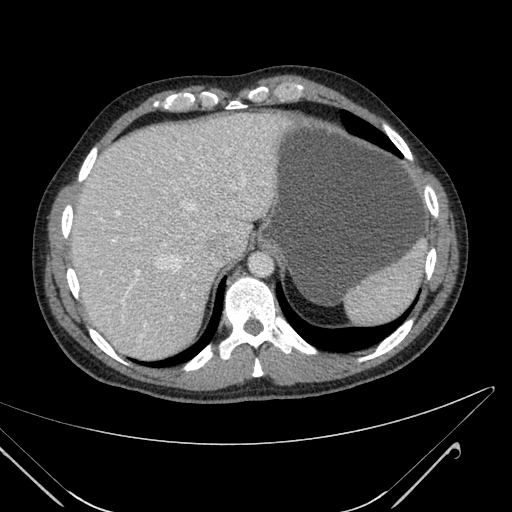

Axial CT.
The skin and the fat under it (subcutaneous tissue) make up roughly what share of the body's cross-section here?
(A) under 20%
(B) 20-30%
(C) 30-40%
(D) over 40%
Answer: (A) under 20%
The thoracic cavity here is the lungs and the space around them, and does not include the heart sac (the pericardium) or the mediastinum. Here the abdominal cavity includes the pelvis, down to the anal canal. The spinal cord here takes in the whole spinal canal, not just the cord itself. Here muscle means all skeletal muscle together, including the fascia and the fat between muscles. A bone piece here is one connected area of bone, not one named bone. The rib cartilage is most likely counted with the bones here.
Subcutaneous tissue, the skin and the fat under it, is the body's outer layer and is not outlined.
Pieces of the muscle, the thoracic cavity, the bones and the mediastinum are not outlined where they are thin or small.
The abdominal cavity is outlined by (142, 361) (172, 357) (195, 343) (211, 316) (219, 281) (253, 250) (272, 258) (286, 300) (313, 325) (371, 327) (401, 315) (419, 292) (429, 248) (429, 213) (405, 159) (309, 114) (274, 108) (148, 125) (111, 142) (99, 154) (72, 206) (70, 257) (93, 327) (120, 355). The mediastinum appears in 3 outlined pieces: piece 1: (275, 294) (275, 285) (278, 281) (280, 282) (280, 276) (276, 270) (276, 266) (274, 262) (269, 256) (262, 252) (259, 251) (253, 251) (247, 254) (240, 259) (224, 276) (227, 277) (227, 280) (226, 281) (226, 288) (237, 277) (243, 275) (251, 275) (263, 280) (270, 287); piece 2: (344, 129) (345, 128) (343, 127) (339, 116) (339, 111) (341, 109) (318, 102) (304, 101) (303, 102) (294, 102) (293, 103) (274, 104) (273, 105) (251, 105) (248, 106) (248, 107) (247, 108) (245, 108) (264, 108) (274, 107) (282, 109) (292, 109) (305, 113) (309, 113) (313, 117) (330, 122); piece 3: (112, 141) (131, 131) (133, 131) (148, 124) (164, 122) (165, 121) (174, 121) (175, 120) (190, 120) (222, 111) (233, 110) (221, 109) (214, 111) (192, 112) (191, 113) (166, 113) (165, 112) (158, 112) (157, 111) (156, 112) (152, 112) (143, 116) (130, 124) (118, 134). The bones appear in 12 outlined pieces: piece 1: (222, 359) (228, 359) (232, 350) (244, 342) (257, 349) (264, 341) (270, 341) (285, 353) (289, 353) (293, 347) (306, 354) (316, 354) (318, 350) (304, 340) (278, 313) (274, 294) (263, 281) (251, 276) (243, 276) (237, 278) (225, 290) (223, 310) (228, 333) (216, 345); inner edge: (254, 335) (255, 335) (256, 334) (257, 334) (261, 330) (262, 330) (262, 325) (261, 324) (261, 323) (258, 320) (257, 320) (256, 319) (254, 319) (253, 318) (250, 318) (245, 323) (245, 324) (244, 325) (244, 329) (247, 332) (248, 332) (251, 334) (253, 334); piece 2: (177, 112) (178, 111) (186, 111) (199, 105) (204, 109) (205, 108) (210, 109) (217, 105) (219, 102) (219, 98) (215, 93) (206, 90) (201, 91) (196, 95) (191, 92) (173, 93) (162, 99) (155, 100) (152, 103) (152, 106) (156, 108) (161, 107) (167, 111) (176, 111); piece 3: (257, 103) (263, 101) (267, 101) (269, 99) (273, 99) (277, 102) (296, 101) (299, 100) (304, 95) (304, 89) (305, 88) (302, 84) (295, 82) (281, 82) (273, 89) (270, 89) (267, 86) (263, 85) (258, 86) (253, 89) (251, 89) (246, 95) (246, 98) (249, 101); piece 4: (358, 362) (362, 362) (363, 361) (374, 358) (381, 354) (383, 354) (398, 344) (410, 330) (415, 318) (414, 317) (410, 317) (409, 318) (407, 318) (403, 322) (403, 323) (391, 334) (382, 340) (370, 353) (366, 355) (358, 357) (356, 359); piece 5: (125, 365) (129, 365) (129, 363) (127, 361) (123, 359) (113, 349) (113, 348) (95, 329) (94, 329) (92, 327) (90, 327) (88, 326) (87, 327) (87, 330) (92, 340) (104, 352) (105, 352) (108, 355) (109, 355) (114, 359) (117, 360) (119, 362); piece 6: (185, 371) (194, 370) (195, 369) (197, 369) (198, 368) (199, 368) (213, 356) (213, 354) (214, 353) (213, 352) (213, 349) (214, 348) (214, 346) (211, 342) (210, 342) (195, 356) (194, 356) (191, 359) (190, 359) (188, 361) (187, 361) (182, 366) (182, 367) (181, 368); piece 7: (410, 161) (412, 161) (413, 160) (413, 157) (412, 156) (412, 154) (407, 144) (405, 142) (403, 138) (386, 122) (383, 122) (382, 123) (382, 128) (383, 129) (383, 131) (392, 141) (392, 142) (398, 148) (398, 149) (402, 153) (404, 157) (406, 159); piece 8: (79, 182) (81, 182) (86, 177) (87, 174) (89, 172) (89, 171) (90, 170) (93, 163) (95, 161) (95, 160) (98, 155) (98, 147) (96, 145) (94, 145) (91, 148) (91, 149) (88, 152) (87, 155) (85, 157) (85, 158) (81, 165) (80, 170) (78, 173) (78, 181); piece 9: (435, 218) (436, 218) (438, 216) (438, 203) (437, 202) (437, 197) (436, 196) (436, 194) (433, 188) (429, 184) (426, 184) (424, 186) (424, 190) (423, 191) (423, 193) (424, 194) (424, 200) (425, 201) (425, 203) (428, 208) (428, 210) (430, 214) (433, 217); piece 10: (65, 238) (67, 238) (68, 237) (68, 235) (69, 234) (69, 230) (71, 227) (72, 217) (73, 216) (73, 213) (72, 212) (72, 207) (70, 204) (67, 204) (64, 207) (64, 209) (62, 212) (62, 216) (61, 217) (61, 228) (62, 229) (62, 233) (63, 234) (63, 236); piece 11: (77, 300) (79, 300) (79, 286) (78, 285) (78, 282) (77, 281) (77, 278) (75, 275) (75, 272) (74, 271) (73, 268) (72, 267) (69, 266) (67, 268) (67, 270) (66, 271) (66, 277) (67, 278) (67, 281) (68, 282) (68, 285) (72, 292) (72, 294); piece 12: (427, 280) (430, 279) (430, 277) (432, 274) (432, 272) (433, 271) (433, 268) (435, 264) (435, 260) (436, 259) (436, 250) (434, 247) (431, 247) (429, 249) (428, 251) (428, 253) (427, 254) (427, 256) (426, 257) (426, 262) (425, 263) (425, 276). The spinal cord is outlined by (254, 335) (255, 335) (256, 334) (257, 334) (261, 330) (262, 330) (262, 325) (261, 324) (261, 323) (258, 320) (257, 320) (256, 319) (254, 319) (253, 318) (250, 318) (245, 323) (245, 324) (244, 325) (244, 329) (247, 332) (248, 332) (251, 334) (253, 334). The thoracic cavity appears in 3 outlined pieces: piece 1: (336, 352) (355, 351) (376, 345) (401, 324) (408, 316) (418, 298) (418, 294) (411, 305) (401, 316) (387, 324) (371, 328) (326, 329) (313, 326) (300, 318) (291, 309) (285, 300) (280, 283) (278, 282) (276, 285) (276, 297) (278, 304) (288, 322) (304, 339) (317, 348); piece 2: (151, 367) (165, 367) (185, 362) (195, 355) (211, 341) (215, 334) (221, 316) (226, 277) (223, 277) (218, 285) (216, 292) (216, 298) (214, 302) (214, 309) (208, 326) (203, 335) (195, 344) (172, 358) (168, 358) (162, 361) (142, 362) (135, 359) (128, 359) (135, 363); piece 3: (400, 158) (402, 158) (403, 156) (383, 132) (380, 131) (368, 122) (346, 110) (342, 109) (340, 111) (340, 116) (341, 117) (342, 123) (344, 125) (344, 127) (346, 128) (347, 131) (350, 133) (362, 137) (372, 143) (375, 143) (380, 147) (382, 147) (384, 149) (390, 151). The muscle appears in 2 outlined pieces: piece 1: (197, 391) (224, 388) (252, 378) (255, 356) (260, 359) (264, 371) (261, 377) (277, 385) (349, 376) (376, 366) (396, 354) (422, 331) (444, 305) (455, 283) (459, 262) (454, 217) (448, 195) (439, 180) (420, 163) (406, 141) (414, 157) (412, 162) (406, 161) (420, 187) (423, 190) (423, 186) (429, 183) (438, 197) (439, 216) (435, 219) (430, 215) (429, 231) (430, 247) (436, 248) (437, 259) (431, 279) (427, 281) (424, 276) (419, 298) (408, 317) (416, 318) (411, 330) (390, 351) (362, 363) (355, 359) (375, 346) (349, 353) (319, 350) (316, 355) (306, 355) (294, 348) (285, 354) (266, 341) (257, 350) (248, 344) (241, 344) (233, 350) (228, 360) (222, 360) (215, 345) (227, 333) (223, 311) (212, 340) (214, 356) (199, 369) (185, 372) (180, 368) (184, 363) (151, 368) (125, 358) (129, 366) (119, 363) (89, 337) (86, 327) (92, 326) (81, 302) (71, 294) (65, 277) (66, 268) (71, 266) (71, 262) (67, 239) (61, 233) (60, 217) (67, 203) (73, 205) (81, 184) (77, 181) (79, 169) (58, 192) (48, 215) (44, 274) (45, 293) (58, 323) (90, 353) (127, 376); piece 2: (99, 153) (126, 126) (143, 115) (157, 110) (166, 112) (176, 112) (167, 112) (164, 111) (161, 108) (156, 109) (151, 106) (155, 99) (162, 98) (170, 93) (191, 91) (196, 94) (206, 89) (215, 92) (220, 98) (218, 105) (214, 107) (210, 110) (204, 110) (200, 106) (199, 106) (193, 108) (191, 110) (186, 112) (178, 112) (191, 112) (204, 111) (224, 108) (224, 105) (233, 98) (247, 102) (249, 105) (285, 103) (269, 100) (257, 104) (249, 102) (245, 98) (246, 93) (251, 88) (262, 84) (273, 88) (281, 81) (295, 81) (305, 86) (305, 95) (297, 101) (318, 101) (346, 109) (382, 131) (381, 123) (383, 121) (393, 127) (380, 116) (332, 88) (298, 75) (283, 74) (262, 78) (253, 85) (235, 93) (205, 85) (190, 85) (180, 89) (156, 93) (138, 106) (125, 112) (113, 122) (95, 143) (99, 147). The torso is outlined by (191, 404) (316, 397) (385, 377) (434, 341) (457, 303) (469, 250) (467, 222) (457, 190) (445, 168) (405, 123) (374, 92) (345, 74) (311, 65) (279, 64) (238, 74) (172, 76) (133, 87) (96, 115) (41, 196) (32, 234) (32, 279) (43, 319) (61, 350) (104, 384).